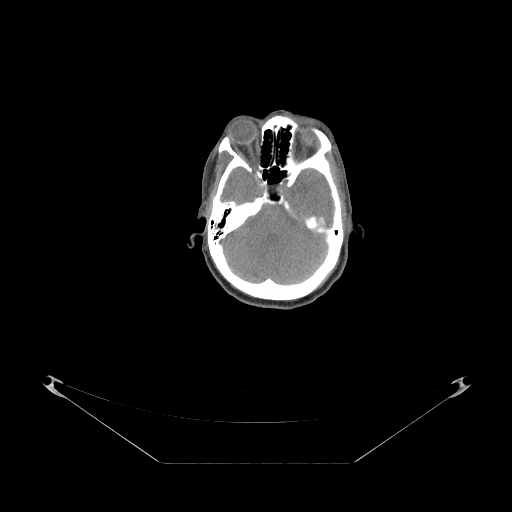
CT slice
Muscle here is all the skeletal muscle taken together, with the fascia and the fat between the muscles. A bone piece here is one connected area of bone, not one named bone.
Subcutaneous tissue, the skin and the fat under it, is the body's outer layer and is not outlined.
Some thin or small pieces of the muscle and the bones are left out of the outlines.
brain 1: [[306,169],[323,176],[333,207],[328,226],[322,215],[312,214],[303,219],[309,230],[324,236],[327,247],[322,261],[310,275],[297,282],[280,283],[270,277],[261,281],[243,278],[230,266],[221,241],[266,204],[281,205],[290,213],[291,206],[285,191]]
brain 2: [[236,168],[242,168],[248,173],[251,174],[257,186],[257,188],[260,192],[259,195],[255,196],[251,200],[246,200],[239,203],[236,202],[233,199],[225,199],[224,200],[221,199],[222,194],[224,191],[224,188],[229,178],[229,176],[232,171]]
bones: [[275,115],[287,116],[298,124],[294,134],[293,155],[299,161],[312,155],[319,147],[312,127],[327,136],[331,149],[326,157],[340,201],[343,228],[343,241],[333,268],[313,291],[290,300],[254,297],[236,288],[217,268],[207,242],[206,222],[211,212],[212,199],[232,157],[226,150],[218,151],[221,140],[228,136],[231,148],[249,164],[260,158],[265,166],[270,159],[270,131],[264,132],[262,147],[261,127],[267,119]], around holes outlined by [[306,169],[323,176],[333,207],[328,226],[322,215],[312,214],[303,219],[309,230],[324,236],[327,247],[322,261],[310,275],[297,282],[280,283],[270,277],[261,281],[243,278],[230,266],[221,241],[266,204],[281,205],[290,213],[291,206],[285,191]] and by [[236,168],[242,168],[248,173],[251,174],[257,186],[257,188],[260,192],[259,195],[255,196],[251,200],[246,200],[239,203],[236,202],[233,199],[225,199],[224,200],[221,199],[222,194],[224,191],[224,188],[229,178],[229,176],[232,171]] and by [[287,130],[290,134],[287,140],[287,151],[284,154],[283,156],[283,161],[281,161],[281,156],[282,155],[282,151],[279,145],[281,144],[284,141],[284,139],[283,138],[283,134],[284,132],[285,132]] and by [[274,168],[276,168],[279,172],[282,172],[283,174],[277,181],[275,182],[270,182],[269,180],[269,178],[267,176],[265,176],[264,174],[265,172],[266,172],[266,173],[268,175],[270,174],[272,170]]
muscle 1: [[217,148],[217,151],[219,153],[221,153],[223,151],[226,151],[231,157],[227,162],[218,180],[215,191],[211,199],[210,212],[209,215],[207,216],[204,211],[205,210],[205,201],[208,195],[208,178],[210,175],[210,169],[212,167],[212,160]]
muscle 2: [[332,143],[335,149],[336,156],[341,170],[341,174],[343,179],[344,192],[345,193],[347,223],[346,224],[346,233],[344,239],[344,228],[343,227],[343,220],[342,219],[341,201],[331,171],[330,162],[327,157],[327,155],[332,149]]
muscle 3: [[340,254],[340,257],[339,261],[338,262],[338,264],[337,265],[336,268],[329,276],[329,277],[324,282],[324,283],[320,287],[317,288],[325,279],[325,278],[328,275],[328,274],[334,268],[334,267],[336,265],[336,264],[338,261],[338,259],[339,258],[340,256]]
head: [[275,109],[315,117],[330,128],[344,163],[353,218],[365,231],[362,240],[350,237],[346,265],[331,287],[313,302],[287,310],[237,300],[210,273],[201,237],[194,238],[192,248],[186,245],[205,223],[196,217],[202,171],[226,123],[239,114],[260,117]], around holes outlined by [[266,131],[269,131],[269,137],[267,139],[267,141],[269,143],[269,152],[268,153],[269,154],[269,159],[267,163],[264,165],[262,163],[262,159],[261,157],[262,156],[262,148],[263,147],[263,145],[264,144],[264,140],[265,139],[264,138],[264,135]] and by [[287,130],[290,134],[287,140],[287,151],[284,154],[283,156],[283,161],[281,161],[281,156],[282,155],[282,151],[279,145],[281,144],[284,141],[284,139],[283,138],[283,134],[284,132],[285,132]] and by [[274,168],[276,168],[279,172],[282,172],[283,174],[277,181],[275,182],[270,182],[269,180],[269,178],[267,176],[265,176],[264,174],[265,172],[266,172],[266,173],[268,175],[270,174],[272,170]]